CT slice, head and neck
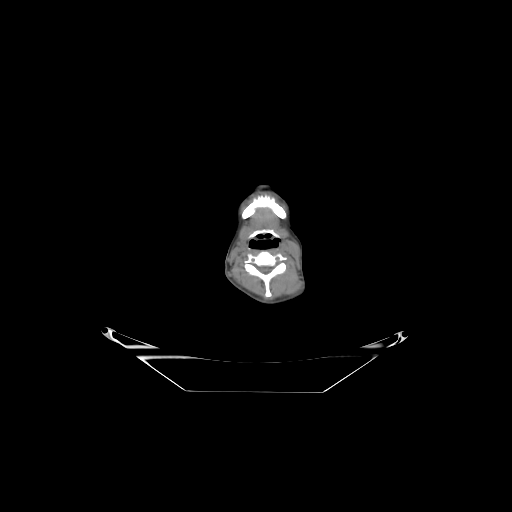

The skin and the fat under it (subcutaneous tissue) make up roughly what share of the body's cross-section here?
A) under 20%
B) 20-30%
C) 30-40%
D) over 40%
B) 20-30%
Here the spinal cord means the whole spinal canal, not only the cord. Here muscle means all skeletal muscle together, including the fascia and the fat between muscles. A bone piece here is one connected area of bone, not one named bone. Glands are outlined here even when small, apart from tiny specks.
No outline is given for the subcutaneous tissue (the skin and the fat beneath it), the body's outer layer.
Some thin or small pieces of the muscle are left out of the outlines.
Outlined structures:
submandibular glands 1: (243, 226) (247, 226) (248, 227) (251, 228) (251, 229) (252, 230) (252, 232) (251, 233) (251, 234) (250, 235) (249, 235) (246, 238) (245, 238) (244, 239) (241, 239) (240, 238) (239, 238) (239, 237) (238, 236) (238, 232) (241, 228) (241, 227) (242, 227)
submandibular glands 2: (279, 228) (285, 228) (286, 229) (287, 229) (288, 230) (288, 231) (289, 232) (289, 234) (288, 235) (288, 236) (287, 237) (286, 237) (285, 238) (281, 238) (280, 237) (279, 237) (279, 236) (277, 234) (277, 233) (276, 232) (276, 231) (277, 230) (277, 229) (278, 229)
head and neck: (261, 183) (271, 184) (289, 202) (293, 212) (292, 227) (300, 238) (303, 247) (302, 263) (303, 272) (306, 280) (305, 292) (295, 299) (273, 305) (262, 304) (251, 299) (236, 289) (226, 279) (224, 275) (224, 259) (236, 224) (234, 217) (236, 206) (238, 202) (254, 186); inner edge: (264, 234) (270, 234) (274, 237) (277, 237) (278, 238) (279, 238) (280, 241) (279, 242) (278, 245) (275, 247) (269, 247) (266, 249) (254, 249) (253, 248) (252, 248) (250, 245) (250, 241) (251, 240) (251, 239) (253, 237) (254, 237) (257, 235) (263, 235)
bones 1: (267, 249) (273, 254) (279, 252) (286, 258) (284, 261) (286, 265) (285, 271) (283, 273) (277, 274) (274, 276) (269, 282) (271, 297) (264, 296) (265, 293) (264, 282) (258, 276) (249, 274) (244, 267) (244, 262) (247, 258) (248, 253) (256, 254) (259, 250) with a hole at (260, 266) (270, 266) (271, 267) (272, 267) (272, 268) (270, 270) (270, 271) (269, 271) (267, 273) (264, 273) (263, 272) (262, 272) (258, 268) (258, 267) (259, 267)
bones 2: (264, 194) (267, 194) (270, 196) (273, 196) (275, 198) (276, 201) (281, 205) (286, 211) (286, 213) (287, 214) (286, 218) (284, 219) (280, 218) (268, 207) (258, 207) (255, 209) (255, 211) (253, 214) (243, 219) (240, 215) (242, 210) (254, 197) (258, 195) (263, 195)
bones 3: (260, 229) (270, 229) (272, 230) (275, 233) (276, 233) (278, 237) (277, 236) (274, 236) (270, 233) (264, 233) (263, 234) (257, 234) (253, 236) (250, 239) (249, 238) (249, 236) (250, 236) (254, 231) (256, 230) (259, 230)
muscle 1: (290, 234) (299, 247) (297, 271) (302, 285) (297, 292) (267, 299) (249, 291) (230, 275) (231, 265) (229, 263) (229, 256) (231, 250) (238, 237) (241, 240) (248, 237) (250, 247) (258, 250) (256, 253) (248, 252) (246, 254) (243, 267) (249, 275) (258, 277) (263, 282) (263, 296) (271, 298) (270, 282) (274, 277) (286, 271) (287, 265) (285, 261) (287, 258) (279, 251) (275, 253) (271, 252) (269, 248) (277, 247) (281, 241) (280, 238) (285, 239)
muscle 2: (258, 208) (268, 208) (276, 216) (282, 220) (286, 219) (287, 217) (286, 221) (287, 228) (285, 227) (279, 227) (276, 229) (275, 232) (270, 228) (260, 228) (253, 231) (252, 228) (247, 225) (241, 226) (242, 224) (241, 218) (244, 220) (250, 217) (254, 214) (256, 209)
muscle 3: (261, 191) (265, 191) (266, 192) (270, 192) (272, 194) (273, 194) (276, 197) (277, 197) (286, 206) (286, 210) (284, 208) (284, 207) (281, 204) (280, 204) (277, 201) (276, 198) (273, 195) (270, 195) (267, 193) (264, 193) (263, 194) (258, 194) (257, 195) (254, 196) (251, 199) (251, 200) (241, 210) (241, 211) (241, 207) (243, 205) (243, 204) (247, 200) (248, 200) (252, 196) (253, 196) (256, 193) (257, 193) (258, 192) (260, 192)
spinal cord: (260, 266) (270, 266) (271, 267) (272, 267) (272, 268) (270, 270) (270, 271) (269, 271) (267, 273) (264, 273) (263, 272) (262, 272) (258, 268) (258, 267) (259, 267)